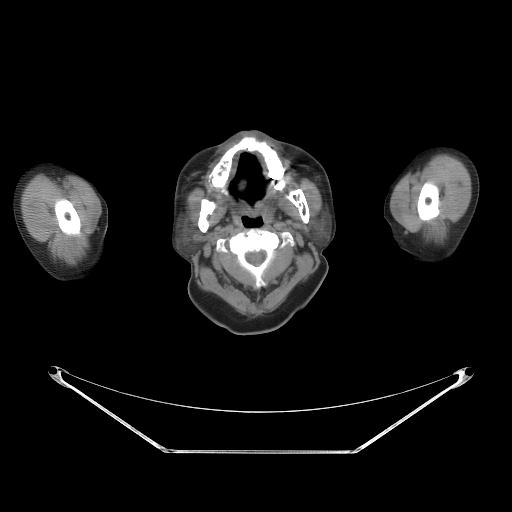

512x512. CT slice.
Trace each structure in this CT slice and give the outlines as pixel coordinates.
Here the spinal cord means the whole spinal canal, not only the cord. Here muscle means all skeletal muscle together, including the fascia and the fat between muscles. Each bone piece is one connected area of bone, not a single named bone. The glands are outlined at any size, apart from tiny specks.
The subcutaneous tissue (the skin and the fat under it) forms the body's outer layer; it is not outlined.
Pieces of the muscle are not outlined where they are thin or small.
parotid glands 1: 181 211; 182 211; 187 216; 187 217; 189 219; 189 220; 193 227; 193 229; 195 232; 193 234; 193 239; 196 243; 196 246; 195 247; 191 256; 185 256; 176 248; 176 228; 177 227; 177 222; 178 221; 178 216; 180 214; 180 212
parotid glands 2: 327 209; 328 209; 328 211; 330 215; 330 219; 331 220; 331 231; 330 232; 328 239; 321 245; 319 245; 313 239; 311 232; 310 231; 310 227; 311 227; 313 225; 315 218; 316 218; 321 213; 324 212
muscle 1: 254 136; 283 147; 295 160; 308 165; 320 177; 327 208; 309 227; 319 246; 317 271; 279 309; 246 320; 198 289; 191 258; 197 246; 196 232; 181 210; 181 190; 185 179; 211 160; 218 149; 240 138; 211 169; 207 178; 210 188; 225 195; 229 192; 236 201; 252 206; 257 203; 268 186; 252 154; 257 152; 273 189; 296 207; 307 224; 310 209; 303 190; 284 190; 286 169; 277 151 with holes at 244 216; 252 219; 261 218; 259 226; 263 229; 277 233; 289 232; 295 243; 293 246; 286 245; 275 250; 274 258; 262 275; 266 285; 258 288; 255 287; 254 277; 238 263; 231 252; 215 249; 219 238; 228 238; 248 227; 242 221 and at 202 198; 206 198; 209 200; 211 200; 213 201; 216 204; 216 206; 213 210; 213 211; 207 216; 207 220; 208 221; 209 226; 206 232; 202 232; 199 229; 198 227; 198 225; 197 224; 197 221; 199 217; 200 206; 201 205; 201 199
muscle 2: 39 172; 67 173; 75 175; 87 182; 92 187; 100 200; 102 208; 102 212; 100 216; 100 225; 93 243; 91 245; 91 250; 87 258; 75 267; 64 267; 53 263; 37 242; 30 236; 23 222; 20 210; 20 195; 27 181; 34 174; inner edge: 60 198; 65 198; 69 200; 73 204; 73 206; 76 210; 77 214; 79 217; 80 224; 81 225; 80 227; 80 234; 79 235; 67 235; 60 229; 58 225; 58 221; 57 220; 57 218; 55 214; 55 210; 54 209; 54 204; 56 200
muscle 3: 437 152; 449 152; 452 153; 459 157; 465 163; 471 177; 471 183; 472 184; 471 199; 466 212; 458 221; 448 241; 443 246; 421 246; 409 240; 398 228; 395 223; 395 220; 390 212; 389 201; 393 189; 399 180; 419 162; inner edge: 426 181; 430 181; 434 184; 435 184; 438 187; 438 190; 439 191; 439 203; 438 204; 439 213; 436 217; 430 220; 424 221; 423 220; 421 220; 419 218; 418 212; 417 211; 417 201; 418 200; 418 197; 419 196; 420 190; 423 184
muscle 4: 239 152; 243 152; 244 153; 242 153; 239 158; 239 161; 238 162; 238 164; 236 166; 234 174; 229 183; 228 190; 227 187; 228 186; 229 177; 230 176; 230 174; 231 173; 231 170; 232 169; 232 166; 233 165; 233 159; 235 155
head and neck: 243 129; 261 130; 279 140; 298 145; 315 157; 328 176; 336 220; 334 237; 323 251; 329 266; 328 272; 314 296; 302 310; 279 328; 250 335; 232 333; 196 309; 187 293; 190 264; 170 243; 174 193; 181 168; 197 151; 218 144 with holes at 245 153; 251 154; 254 156; 259 165; 260 172; 263 174; 264 178; 267 182; 265 195; 257 202; 255 201; 253 205; 248 201; 242 199; 236 200; 235 198; 231 195; 229 191; 230 183; 235 174; 237 166; 240 161; 240 158; 242 154 and at 244 216; 245 216; 248 218; 251 218; 252 219; 253 219; 254 218; 258 218; 259 217; 260 218; 261 218; 261 221; 262 222; 261 223; 261 225; 260 225; 259 226; 251 226; 250 227; 248 227; 247 226; 246 226; 242 221; 242 218
right arm: 44 159; 50 159; 59 162; 87 177; 95 184; 106 201; 108 209; 108 226; 105 236; 105 244; 102 259; 95 273; 86 279; 79 281; 60 281; 51 277; 40 267; 31 255; 17 229; 12 210; 12 196; 14 187; 19 176; 26 168
bones 1: 244 136; 265 141; 276 151; 285 169; 283 178; 286 184; 283 190; 287 194; 291 189; 302 190; 309 209; 307 223; 302 221; 297 207; 274 189; 264 159; 257 151; 239 151; 234 155; 226 194; 212 189; 208 184; 209 175; 222 155
bones 2: 251 227; 260 227; 277 233; 287 231; 292 235; 295 243; 293 246; 286 245; 282 248; 278 247; 275 250; 274 258; 262 275; 266 285; 258 288; 255 287; 254 277; 238 263; 236 257; 231 252; 221 252; 215 249; 219 238; 228 238, around a hole outlined by 261 250; 263 250; 265 252; 265 257; 264 258; 264 259; 259 264; 258 264; 257 265; 255 265; 254 264; 253 264; 252 263; 249 262; 246 259; 246 258; 245 257; 245 255; 246 254; 246 253; 247 253; 248 252; 258 252
bones 3: 426 181; 430 181; 434 184; 435 184; 438 187; 438 190; 439 191; 439 203; 438 204; 439 213; 436 217; 430 220; 424 221; 423 220; 421 220; 419 218; 418 212; 417 211; 417 201; 418 200; 418 197; 419 196; 420 190; 423 184
bones 4: 60 198; 65 198; 69 200; 73 204; 73 206; 76 210; 77 214; 79 217; 80 224; 81 225; 80 227; 80 234; 79 235; 67 235; 60 229; 58 225; 58 221; 57 220; 57 218; 55 214; 55 210; 54 209; 54 204; 56 200
bones 5: 202 198; 206 198; 209 200; 211 200; 213 201; 216 204; 216 206; 213 210; 213 211; 207 216; 207 220; 208 221; 209 226; 206 232; 202 232; 199 229; 198 227; 198 225; 197 224; 197 221; 199 217; 200 206; 201 205; 201 199
spinal cord: 261 250; 263 250; 265 252; 265 257; 264 258; 264 259; 259 264; 258 264; 257 265; 255 265; 254 264; 253 264; 252 263; 249 262; 246 259; 246 258; 245 257; 245 255; 246 254; 246 253; 247 253; 248 252; 258 252
left arm: 438 144; 456 147; 465 152; 471 158; 477 169; 479 176; 480 183; 479 197; 472 222; 455 255; 445 262; 429 267; 423 267; 412 261; 410 256; 397 245; 391 234; 390 227; 383 216; 383 204; 390 184; 412 157; 420 150; 428 146